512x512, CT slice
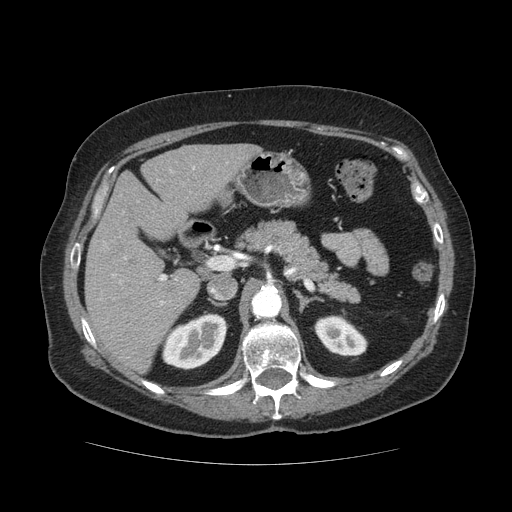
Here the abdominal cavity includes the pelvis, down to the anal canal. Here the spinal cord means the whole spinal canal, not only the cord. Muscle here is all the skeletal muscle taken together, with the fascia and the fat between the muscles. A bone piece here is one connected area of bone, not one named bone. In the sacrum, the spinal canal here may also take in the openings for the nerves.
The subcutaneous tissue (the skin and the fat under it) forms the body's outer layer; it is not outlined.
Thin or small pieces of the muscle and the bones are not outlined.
{"abdominal_cavity":[[[241,124],[359,140],[403,164],[413,199],[431,228],[439,275],[423,330],[399,357],[365,374],[325,375],[301,354],[289,325],[262,321],[243,336],[240,361],[226,377],[180,388],[159,387],[98,343],[80,299],[78,271],[85,242],[118,171],[143,153]]],"torso":[[[278,84],[331,86],[376,95],[407,110],[427,130],[465,206],[475,251],[467,341],[453,375],[437,394],[417,405],[361,426],[310,435],[274,431],[222,439],[174,434],[82,400],[49,366],[39,283],[42,246],[62,201],[77,148],[113,115],[151,99]]],"muscle":[[[258,119],[350,127],[404,143],[446,212],[454,250],[453,285],[432,351],[392,384],[331,412],[282,418],[282,396],[301,397],[297,392],[299,378],[316,388],[331,388],[342,377],[365,375],[384,366],[379,376],[389,375],[402,364],[400,356],[423,332],[432,309],[433,324],[444,313],[445,294],[441,291],[438,295],[440,265],[436,245],[444,242],[444,234],[437,220],[431,227],[421,205],[429,202],[428,191],[417,178],[411,182],[408,178],[401,161],[410,158],[408,153],[396,144],[388,147],[393,155],[359,139],[296,127],[241,123],[197,133],[138,154],[119,168],[108,191],[109,177],[115,169],[111,165],[91,200],[90,217],[95,224],[83,247],[75,241],[69,252],[85,312],[79,319],[83,336],[97,350],[97,342],[114,360],[139,376],[144,387],[158,395],[165,394],[163,388],[193,389],[216,384],[238,366],[241,358],[241,377],[199,392],[226,396],[250,382],[253,404],[261,397],[272,398],[273,420],[227,421],[162,403],[83,359],[82,341],[63,294],[64,251],[95,175],[129,145],[196,124]],[[303,357],[304,357],[307,360],[310,365],[317,372],[318,372],[320,374],[324,375],[325,376],[330,376],[331,377],[338,377],[336,377],[335,378],[326,378],[325,377],[322,377],[321,376],[317,376],[307,371],[306,367],[302,362],[302,359]]],"bones":[{"outer":[[272,321],[286,324],[297,336],[306,371],[326,379],[340,378],[336,385],[316,387],[299,377],[296,392],[300,397],[281,396],[279,419],[272,418],[275,404],[271,396],[261,396],[253,403],[250,381],[226,395],[200,392],[241,378],[244,336],[253,326]],"hole":[[275,368],[278,368],[279,369],[283,369],[289,374],[289,380],[286,383],[285,383],[283,385],[282,385],[278,388],[273,389],[270,387],[268,387],[265,385],[263,385],[261,384],[258,381],[258,378],[259,376],[264,371],[268,369],[274,369]]},[[113,165],[114,166],[114,169],[112,173],[108,177],[107,194],[105,197],[100,213],[97,219],[94,221],[91,217],[91,215],[92,214],[91,212],[91,204],[92,203],[92,200],[93,199],[94,194],[98,186],[100,184],[106,171]],[[415,178],[417,179],[421,183],[421,184],[427,191],[429,195],[429,200],[428,202],[426,203],[423,203],[422,204],[420,204],[418,203],[414,199],[414,197],[412,193],[412,189],[411,188],[411,183],[412,181]],[[75,242],[79,242],[82,246],[82,251],[81,252],[81,258],[80,259],[80,262],[79,263],[79,267],[78,268],[78,270],[76,272],[72,269],[72,268],[71,267],[71,265],[70,264],[70,252],[71,251],[71,249]],[[441,292],[442,292],[444,294],[444,297],[445,298],[445,305],[444,306],[443,313],[441,315],[441,316],[437,320],[437,321],[436,322],[433,323],[432,322],[432,318],[433,317],[433,311],[434,310],[434,308],[435,307],[436,300],[437,299],[439,294]],[[82,316],[85,317],[85,318],[87,320],[87,322],[89,325],[89,327],[95,338],[95,340],[96,341],[96,344],[97,345],[97,349],[93,347],[86,340],[84,336],[84,334],[82,330],[82,326],[81,325],[81,320],[80,319]],[[140,378],[144,378],[147,380],[149,380],[150,381],[155,383],[156,384],[156,385],[159,388],[162,388],[164,390],[164,391],[165,392],[164,393],[164,394],[158,394],[157,393],[155,393],[154,392],[151,391],[145,386],[144,386],[140,382]],[[398,358],[401,358],[402,359],[402,362],[401,363],[401,364],[394,371],[393,371],[391,373],[390,373],[389,374],[387,374],[384,376],[380,376],[379,373],[386,366],[387,366],[389,364],[390,364],[393,361],[396,360]],[[391,145],[396,145],[397,146],[399,146],[400,147],[401,147],[407,153],[407,154],[408,155],[408,156],[409,157],[409,158],[407,160],[401,160],[400,159],[399,159],[397,157],[396,157],[396,156],[390,150],[390,149],[389,148],[389,147]]],"spinal_cord":[[[275,368],[278,368],[279,369],[283,369],[289,374],[289,380],[286,383],[285,383],[283,385],[282,385],[278,388],[273,389],[270,387],[268,387],[265,385],[263,385],[261,384],[258,381],[258,378],[259,376],[264,371],[268,369],[274,369]]]}